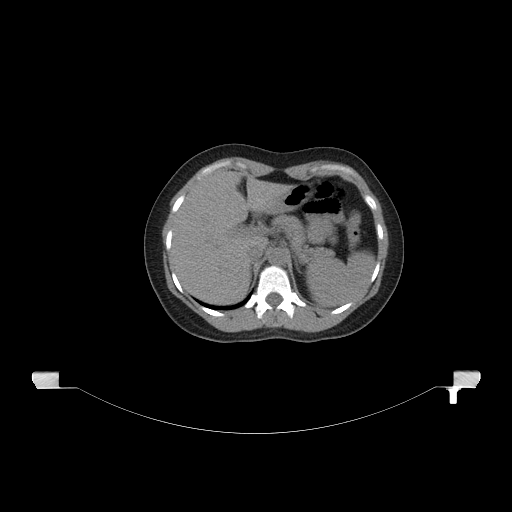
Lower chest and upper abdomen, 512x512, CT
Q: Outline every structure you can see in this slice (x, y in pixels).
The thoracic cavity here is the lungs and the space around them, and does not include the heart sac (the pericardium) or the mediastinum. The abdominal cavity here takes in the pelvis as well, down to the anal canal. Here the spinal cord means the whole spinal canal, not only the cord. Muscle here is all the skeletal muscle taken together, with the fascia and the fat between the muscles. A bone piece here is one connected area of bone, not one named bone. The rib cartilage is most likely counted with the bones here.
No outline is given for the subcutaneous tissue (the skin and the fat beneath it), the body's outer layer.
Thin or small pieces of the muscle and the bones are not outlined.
A: The spinal cord is outlined by [[273,292],[274,292],[275,293],[277,293],[279,295],[280,295],[281,296],[281,297],[282,298],[282,300],[276,306],[275,306],[274,307],[273,307],[270,304],[269,304],[266,301],[266,297],[270,293],[272,293]]. The muscle is outlined by [[231,156],[239,156],[281,168],[322,159],[346,164],[358,172],[378,199],[388,232],[386,263],[376,294],[336,325],[316,332],[283,327],[262,327],[226,332],[208,323],[176,297],[166,284],[161,232],[169,211],[170,200],[204,166],[197,172],[197,181],[186,195],[179,195],[173,202],[170,210],[174,215],[171,228],[166,232],[164,245],[169,252],[172,270],[170,275],[175,287],[179,292],[185,292],[197,302],[199,308],[207,314],[223,317],[225,314],[221,311],[242,306],[244,308],[254,307],[258,319],[267,311],[276,313],[281,310],[292,318],[295,305],[305,307],[309,304],[335,315],[348,309],[353,304],[352,301],[358,298],[378,275],[380,269],[380,262],[377,260],[378,241],[383,239],[384,232],[381,224],[375,223],[374,220],[372,211],[377,208],[375,200],[367,193],[362,195],[352,181],[341,175],[324,174],[338,172],[354,177],[356,174],[349,166],[337,163],[315,165],[309,171],[319,174],[299,179],[280,170],[261,175],[252,174],[242,169],[247,166],[240,161],[233,162],[226,159],[213,162]]. The bones appear in 11 outlined pieces: piece 1: [[272,265],[278,266],[287,272],[290,281],[291,291],[296,292],[298,297],[306,303],[305,306],[295,304],[292,317],[290,317],[284,310],[281,309],[276,312],[267,310],[260,318],[258,318],[254,306],[243,306],[251,294],[255,291],[260,272],[265,267]] with a hole at [[273,292],[274,292],[275,293],[277,293],[279,295],[280,295],[281,296],[281,297],[282,298],[282,300],[276,306],[275,306],[274,307],[273,307],[270,304],[269,304],[266,301],[266,297],[270,293],[272,293]]; piece 2: [[323,164],[337,164],[338,165],[343,165],[346,167],[349,167],[354,172],[355,175],[354,176],[352,176],[351,175],[346,175],[338,171],[332,171],[329,173],[324,173],[323,174],[320,174],[317,172],[311,172],[310,171],[310,169],[312,167],[319,166]]; piece 3: [[226,160],[229,160],[233,163],[235,162],[240,162],[241,163],[243,163],[246,166],[245,168],[239,168],[236,166],[233,166],[232,167],[220,167],[208,173],[200,179],[198,179],[197,178],[197,174],[198,172],[206,166],[208,166],[213,163],[218,163]]; piece 4: [[200,305],[202,305],[210,309],[213,309],[214,310],[217,310],[218,311],[220,311],[222,313],[223,313],[224,315],[223,316],[215,316],[214,315],[211,315],[207,313],[202,309],[201,309],[200,308]]; piece 5: [[366,194],[367,194],[368,195],[369,195],[371,197],[372,197],[372,198],[374,200],[374,201],[376,204],[376,208],[374,210],[372,210],[370,208],[370,207],[366,203],[366,202],[364,200],[364,198],[363,197],[363,196]]; piece 6: [[351,301],[352,302],[352,304],[348,308],[347,308],[345,310],[344,310],[339,313],[336,313],[335,314],[332,314],[330,312],[330,311],[333,310],[335,308],[337,308],[338,307],[339,307],[340,306],[341,306],[342,305],[343,305],[348,302],[350,302]]; piece 7: [[181,195],[184,195],[185,196],[185,197],[184,198],[183,201],[179,206],[178,209],[175,212],[172,212],[172,211],[171,210],[172,209],[172,207],[173,206],[173,204],[174,203],[174,202],[176,200],[176,199],[179,196],[180,196]]; piece 8: [[170,229],[171,229],[171,230],[172,231],[172,235],[171,236],[171,247],[170,248],[170,250],[169,251],[168,251],[167,250],[167,249],[166,248],[166,246],[165,245],[165,240],[166,239],[166,236],[167,235],[167,232]]; piece 9: [[172,271],[173,271],[175,273],[175,274],[177,277],[177,279],[178,280],[178,281],[179,282],[181,287],[183,289],[183,292],[181,292],[180,291],[179,291],[179,290],[176,287],[176,286],[173,281],[172,276],[171,275],[171,273],[172,272]]; piece 10: [[377,261],[378,261],[379,262],[379,269],[378,270],[378,272],[377,273],[377,275],[376,276],[376,277],[374,279],[374,280],[372,282],[370,282],[370,278],[372,275],[372,273],[374,270],[374,268],[375,267],[375,265],[376,264],[376,262]]; piece 11: [[377,223],[379,223],[380,224],[380,225],[381,226],[381,227],[382,228],[382,231],[383,232],[383,237],[382,238],[382,239],[381,239],[380,240],[378,240],[378,238],[377,237],[377,233],[376,232],[376,224]]. The abdominal cavity is outlined by [[220,168],[241,169],[256,176],[280,171],[299,180],[336,174],[352,182],[371,210],[377,238],[376,261],[360,295],[331,310],[315,307],[292,291],[288,272],[275,264],[259,272],[254,291],[238,303],[214,305],[188,295],[171,267],[173,219],[194,184]]. The torso is outlined by [[231,142],[274,151],[335,146],[355,153],[371,168],[398,212],[405,251],[401,276],[394,292],[383,309],[365,327],[344,337],[316,342],[267,339],[222,343],[187,333],[166,314],[150,284],[144,263],[143,241],[148,214],[163,186],[187,159],[214,145]]. The thoracic cavity is outlined by [[248,297],[247,300],[241,306],[239,306],[235,308],[232,308],[231,309],[226,309],[225,310],[218,310],[217,309],[210,308],[207,306],[200,304],[198,302],[201,302],[205,304],[213,305],[214,306],[232,306],[233,305],[238,304],[240,302],[242,302]].